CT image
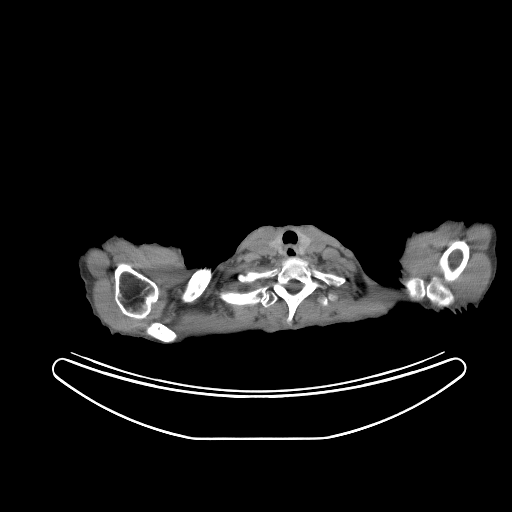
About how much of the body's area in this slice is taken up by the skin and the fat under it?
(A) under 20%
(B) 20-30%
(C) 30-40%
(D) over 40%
(A) under 20%
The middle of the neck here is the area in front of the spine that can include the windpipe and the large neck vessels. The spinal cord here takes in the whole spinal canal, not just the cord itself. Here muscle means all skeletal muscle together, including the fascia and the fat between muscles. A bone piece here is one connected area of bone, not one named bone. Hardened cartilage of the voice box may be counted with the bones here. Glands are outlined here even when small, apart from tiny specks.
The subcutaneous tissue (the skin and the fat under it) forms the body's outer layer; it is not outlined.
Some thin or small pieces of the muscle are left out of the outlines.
Outlined structures:
thyroid glands 1: [[298,230],[301,230],[303,231],[306,234],[309,235],[312,239],[312,241],[308,249],[305,252],[305,253],[303,254],[301,254],[299,253],[297,250],[298,248],[298,244],[299,243],[299,237],[298,236],[298,232],[297,231]]
thyroid glands 2: [[276,232],[281,232],[281,243],[282,244],[282,251],[280,253],[279,252],[277,252],[276,251],[275,251],[273,249],[272,249],[269,246],[269,245],[268,244],[268,242],[269,241],[269,240],[272,237],[272,236]]
left arm: [[448,218],[456,220],[461,219],[468,224],[475,220],[489,220],[495,224],[497,229],[497,271],[490,288],[477,308],[470,304],[467,310],[458,301],[453,290],[412,283],[398,275],[400,267],[398,258],[402,252],[406,237],[412,231],[425,229],[429,230]]
muscle 1: [[303,226],[335,240],[368,281],[384,289],[404,288],[408,298],[395,299],[381,312],[327,322],[273,328],[250,326],[178,337],[157,320],[145,327],[147,335],[114,329],[95,307],[93,277],[86,257],[93,251],[105,252],[116,239],[136,247],[155,245],[176,250],[183,267],[193,271],[180,294],[180,300],[188,304],[206,289],[213,269],[235,257],[252,233],[264,227],[284,228],[276,231],[262,248],[267,256],[283,258],[280,266],[236,276],[244,284],[269,281],[243,292],[221,289],[217,295],[230,305],[260,303],[265,308],[280,298],[287,305],[285,322],[289,326],[298,306],[321,289],[322,283],[339,287],[347,280],[310,266],[303,258],[320,248],[309,234],[296,229]]; inner edges: [[119,263],[126,263],[129,264],[133,269],[153,281],[156,284],[158,288],[158,298],[157,300],[152,304],[151,310],[145,318],[138,319],[137,318],[134,318],[125,315],[120,310],[115,301],[114,298],[115,296],[114,270]], then [[329,292],[332,292],[334,294],[335,294],[336,295],[336,298],[333,300],[329,300],[328,301],[328,302],[327,303],[327,304],[324,306],[323,305],[322,305],[318,301],[318,298],[321,296],[323,296],[324,295],[326,295]]
muscle 2: [[448,223],[463,230],[477,225],[491,230],[486,251],[491,273],[476,300],[454,303],[449,286],[459,278],[470,257],[470,246],[464,239],[453,240],[442,252],[437,262],[439,274],[432,275],[426,282],[417,276],[402,279],[405,274],[403,259],[410,239]]
bones 1: [[293,256],[306,260],[310,267],[346,280],[339,286],[322,282],[321,288],[297,306],[289,325],[286,322],[288,305],[280,297],[267,307],[260,302],[230,304],[219,297],[221,290],[243,293],[266,284],[269,278],[244,283],[237,276],[279,268],[283,259]] with a hole at [[291,280],[295,280],[296,281],[298,281],[299,282],[300,282],[302,284],[302,286],[301,287],[301,288],[298,291],[297,291],[296,292],[295,292],[294,293],[292,293],[291,292],[290,292],[286,288],[286,287],[285,286],[285,285],[289,281],[290,281]]
bones 2: [[455,240],[464,240],[466,242],[469,246],[469,257],[458,278],[448,285],[454,298],[453,303],[445,307],[435,307],[430,303],[426,296],[421,300],[410,299],[401,281],[411,277],[417,277],[421,278],[426,283],[432,276],[439,275],[439,259],[448,246]]
bones 3: [[119,263],[126,263],[129,264],[133,269],[153,281],[156,284],[158,288],[158,298],[157,300],[152,304],[151,310],[145,318],[138,319],[137,318],[134,318],[125,315],[120,310],[115,301],[114,298],[115,296],[114,270]]
bones 4: [[202,267],[210,267],[212,269],[212,275],[211,276],[211,278],[207,286],[202,292],[202,293],[193,301],[191,302],[189,302],[188,303],[185,303],[183,302],[181,300],[181,294],[188,280],[190,278],[192,274],[196,270]]
bones 5: [[154,321],[157,321],[158,322],[160,322],[166,325],[169,328],[170,328],[177,335],[177,338],[174,341],[172,341],[171,342],[166,342],[165,341],[162,341],[159,339],[157,339],[154,337],[152,337],[148,335],[145,332],[145,329],[146,327],[150,323]]
bones 6: [[329,292],[332,292],[334,294],[335,294],[336,295],[336,298],[333,300],[329,300],[328,301],[328,302],[327,303],[327,304],[324,306],[323,305],[322,305],[318,301],[318,298],[321,296],[323,296],[324,295],[326,295]]
spinal cord: [[291,280],[295,280],[296,281],[298,281],[299,282],[300,282],[302,284],[302,286],[301,287],[301,288],[298,291],[297,291],[296,292],[295,292],[294,293],[292,293],[291,292],[290,292],[286,288],[286,287],[285,286],[285,285],[289,281],[290,281]]
middle of the neck: [[285,228],[295,228],[297,230],[296,231],[298,243],[296,250],[299,254],[301,255],[305,254],[313,241],[317,244],[319,248],[315,253],[305,257],[293,255],[284,258],[267,255],[264,253],[263,250],[266,244],[277,253],[280,254],[283,251],[282,230]]
torso: [[266,224],[313,224],[350,248],[364,271],[378,283],[399,287],[398,276],[412,284],[453,291],[466,311],[437,313],[404,303],[378,319],[324,327],[274,333],[249,331],[191,338],[174,345],[131,337],[169,308],[189,283],[196,267],[215,268],[250,231]]
right arm: [[115,233],[135,243],[157,242],[163,245],[179,246],[184,257],[185,265],[189,268],[195,267],[188,283],[168,308],[157,318],[130,337],[119,334],[111,334],[92,313],[84,295],[84,284],[78,271],[78,255],[88,246],[98,245]]